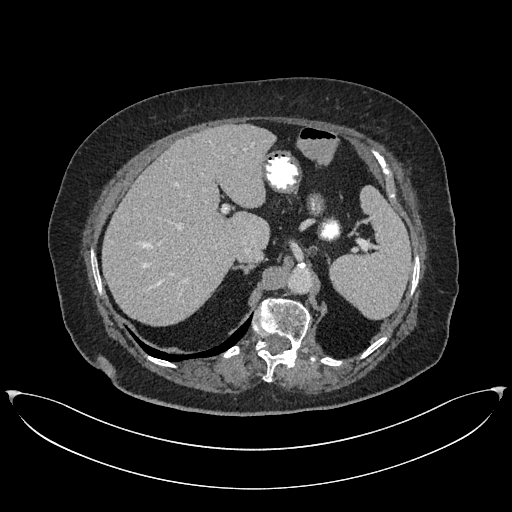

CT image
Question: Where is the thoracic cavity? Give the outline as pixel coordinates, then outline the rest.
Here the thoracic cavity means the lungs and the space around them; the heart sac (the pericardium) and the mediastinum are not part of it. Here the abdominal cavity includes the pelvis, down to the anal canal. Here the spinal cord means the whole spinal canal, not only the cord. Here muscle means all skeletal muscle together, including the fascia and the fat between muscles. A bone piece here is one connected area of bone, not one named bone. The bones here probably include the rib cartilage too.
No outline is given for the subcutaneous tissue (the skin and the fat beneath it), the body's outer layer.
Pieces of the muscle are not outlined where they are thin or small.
Answer: Outlines (x, y in pixels):
thoracic cavity: [[250,316],[251,319],[249,327],[243,336],[235,344],[220,353],[214,355],[190,358],[180,361],[170,361],[146,352],[133,338],[125,326],[131,330],[140,340],[152,348],[155,348],[168,354],[192,354],[208,350],[221,344],[222,342],[229,338]]
spinal cord: [[270,334],[277,334],[281,337],[285,337],[287,338],[290,342],[289,344],[289,346],[287,348],[284,349],[280,352],[277,352],[276,353],[271,353],[267,349],[265,348],[265,347],[267,345],[267,343],[264,340],[264,338],[265,338],[268,335]]
torso: [[293,76],[342,79],[388,93],[410,107],[438,142],[455,217],[459,261],[459,290],[440,359],[409,381],[373,397],[339,407],[288,414],[214,415],[155,404],[123,392],[83,357],[61,315],[47,246],[47,229],[72,154],[101,122],[144,98],[189,86]]
bones 1: [[268,297],[283,297],[297,300],[309,310],[312,317],[311,325],[302,339],[294,366],[287,367],[285,364],[279,363],[274,368],[273,380],[271,382],[266,382],[262,379],[267,371],[267,365],[254,350],[254,345],[258,335],[251,327],[254,310],[262,300]], around a hole outlined by [[270,334],[277,334],[281,337],[285,337],[287,338],[290,342],[289,344],[289,346],[287,348],[284,349],[280,352],[277,352],[276,353],[271,353],[267,349],[265,348],[265,347],[267,345],[267,343],[264,340],[264,338],[265,338],[268,335]]
bones 2: [[372,148],[378,151],[379,153],[384,157],[385,161],[392,172],[392,183],[393,184],[393,187],[396,196],[395,197],[395,202],[393,202],[392,200],[390,199],[388,195],[386,189],[385,175],[382,172],[381,167],[377,159],[371,151]]
bones 3: [[91,245],[94,246],[94,249],[98,261],[98,268],[99,269],[99,273],[101,277],[101,282],[103,288],[103,294],[101,296],[100,296],[98,293],[96,287],[96,284],[93,277],[92,268],[91,267],[91,262],[90,261],[90,247]]
bones 4: [[415,253],[417,253],[419,256],[419,279],[418,280],[418,284],[417,285],[417,286],[414,291],[414,293],[412,295],[412,296],[409,296],[409,290],[410,289],[410,282],[411,281],[411,279],[412,278],[412,272],[413,271],[413,264],[414,263],[414,254]]
bones 5: [[388,332],[390,332],[390,335],[388,339],[384,343],[383,343],[380,346],[379,346],[376,349],[375,349],[366,357],[362,359],[359,359],[358,358],[360,353],[361,353],[366,348],[367,348],[370,345],[370,344],[371,344],[378,338],[386,334]]
bones 6: [[311,355],[314,355],[318,358],[320,358],[326,355],[328,355],[329,356],[332,356],[336,358],[340,358],[343,360],[343,362],[340,365],[334,365],[333,366],[327,365],[326,364],[323,364],[319,362],[317,360],[315,362],[312,363],[309,360],[309,356]]
bones 7: [[142,351],[144,351],[146,353],[154,357],[160,358],[161,359],[164,359],[170,362],[174,362],[176,364],[177,367],[176,368],[172,368],[171,367],[166,367],[165,366],[161,366],[158,364],[156,364],[152,362],[150,360],[147,359],[144,356]]
bones 8: [[236,344],[238,344],[240,346],[240,351],[238,354],[236,354],[235,355],[233,355],[232,356],[231,356],[230,357],[228,357],[227,358],[224,358],[221,356],[221,353],[222,352],[223,352],[224,351],[225,351],[230,347],[231,347],[232,346],[233,346]]
muscle: [[252,115],[291,116],[327,121],[340,125],[346,125],[353,127],[357,130],[365,133],[373,139],[378,141],[392,153],[402,166],[405,174],[408,177],[411,185],[415,191],[418,200],[419,209],[428,238],[428,254],[426,271],[418,303],[417,324],[402,341],[364,376],[354,382],[338,389],[317,394],[304,394],[300,392],[287,391],[271,383],[263,383],[258,384],[245,392],[241,392],[237,394],[228,394],[209,392],[177,384],[158,375],[141,365],[122,346],[107,335],[104,329],[102,319],[98,312],[90,290],[83,261],[83,256],[81,253],[82,232],[87,217],[94,202],[97,199],[103,186],[113,176],[116,171],[124,163],[148,144],[170,133],[190,125],[194,125],[209,120]]; inner edge: [[250,120],[317,127],[354,138],[369,152],[378,151],[392,172],[392,203],[419,256],[419,279],[385,331],[390,332],[388,339],[362,359],[358,353],[341,357],[340,365],[312,363],[309,356],[326,355],[312,321],[294,366],[279,363],[271,382],[262,379],[267,365],[254,350],[258,335],[250,325],[236,343],[238,354],[161,366],[144,356],[106,295],[98,293],[90,247],[98,252],[107,219],[138,173],[178,139]]
abdominal cavity: [[250,120],[317,127],[354,138],[373,155],[384,190],[408,227],[413,263],[406,297],[387,330],[357,354],[326,354],[317,341],[310,310],[289,297],[265,297],[229,337],[192,353],[168,353],[148,345],[106,298],[97,255],[99,238],[138,173],[178,139]]